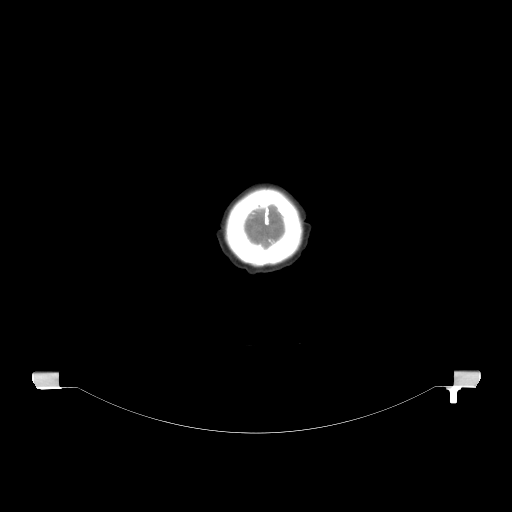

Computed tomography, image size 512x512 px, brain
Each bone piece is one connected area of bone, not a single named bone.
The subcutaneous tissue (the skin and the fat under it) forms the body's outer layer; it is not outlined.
The bones are outlined by 261 186; 267 186; 268 187; 277 188; 283 191; 293 201; 298 208; 300 216; 303 221; 303 237; 299 249; 290 258; 274 265; 265 265; 264 266; 255 267; 240 261; 230 251; 224 240; 224 225; 227 213; 232 204; 246 192; 254 188, around a hole outlined by 270 206; 273 206; 279 214; 281 218; 283 230; 282 231; 282 233; 279 237; 275 240; 272 241; 268 245; 265 246; 260 242; 254 242; 250 239; 246 231; 246 222; 249 216; 254 211; 259 210; 260 209; 264 211; 268 209. The head is outlined by 262 179; 269 179; 279 182; 301 202; 307 211; 308 214; 307 220; 313 225; 313 231; 307 249; 295 265; 281 272; 252 276; 248 275; 241 270; 236 269; 222 255; 218 247; 214 232; 218 226; 218 219; 226 204; 243 188; 253 182. The brain is outlined by 270 206; 273 206; 279 214; 281 218; 283 230; 282 231; 282 233; 279 237; 275 240; 272 241; 268 245; 265 246; 260 242; 254 242; 250 239; 246 231; 246 222; 249 216; 254 211; 259 210; 260 209; 264 211; 268 209.